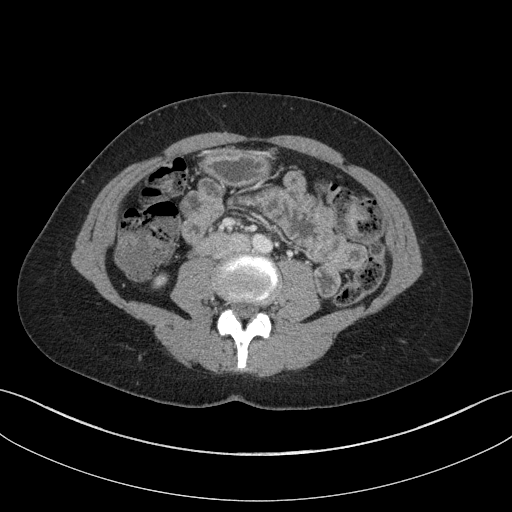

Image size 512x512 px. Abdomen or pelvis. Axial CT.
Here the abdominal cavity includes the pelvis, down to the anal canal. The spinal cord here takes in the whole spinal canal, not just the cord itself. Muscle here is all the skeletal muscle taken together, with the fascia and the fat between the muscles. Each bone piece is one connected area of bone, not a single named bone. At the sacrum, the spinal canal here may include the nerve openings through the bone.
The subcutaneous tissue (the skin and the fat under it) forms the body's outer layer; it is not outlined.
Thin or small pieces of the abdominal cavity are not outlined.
The bones are outlined by [[240,369],[246,365],[250,340],[256,335],[264,338],[269,336],[272,325],[263,308],[281,287],[275,263],[270,258],[251,254],[228,258],[214,268],[212,275],[213,288],[223,298],[225,305],[216,321],[216,328],[221,335],[229,334],[234,339],[237,368]]; inner edge: [[239,319],[250,319],[251,318],[252,318],[259,310],[259,305],[258,304],[256,304],[255,303],[248,303],[247,302],[245,302],[244,301],[242,301],[241,302],[236,302],[235,303],[232,303],[230,306],[232,308],[232,309],[233,310],[235,315]]. The spinal cord is outlined by [[239,319],[250,319],[251,318],[252,318],[259,310],[259,305],[258,304],[256,304],[255,303],[248,303],[247,302],[245,302],[244,301],[242,301],[241,302],[236,302],[235,303],[232,303],[230,306],[232,308],[232,309],[233,310],[235,315]]. The muscle is outlined by [[257,378],[268,378],[272,376],[273,377],[280,377],[286,375],[290,372],[297,372],[307,368],[320,359],[327,352],[332,345],[337,334],[340,331],[353,324],[356,321],[376,313],[388,305],[400,293],[413,284],[422,273],[423,266],[422,265],[422,258],[421,257],[420,248],[408,212],[394,191],[378,176],[361,166],[358,166],[350,163],[344,158],[341,153],[330,146],[318,140],[309,137],[300,135],[291,135],[290,134],[281,134],[269,137],[257,137],[256,136],[248,137],[244,135],[226,131],[223,132],[213,131],[212,132],[198,133],[184,137],[170,144],[159,155],[144,160],[141,160],[128,165],[114,176],[101,189],[91,204],[88,213],[75,239],[75,244],[71,253],[70,260],[74,268],[87,280],[90,281],[93,284],[96,290],[105,299],[119,308],[121,308],[133,317],[142,320],[152,330],[155,337],[164,347],[167,353],[185,367],[190,369],[198,369],[199,370],[210,371],[213,374],[217,374],[218,375],[222,375],[225,373],[230,373],[231,374],[233,373],[237,374],[239,373],[249,373]], around a hole outlined by [[240,369],[250,340],[272,329],[263,308],[281,287],[278,261],[308,269],[320,308],[306,320],[367,304],[389,261],[385,214],[362,184],[264,142],[156,166],[118,202],[106,249],[124,298],[181,313],[169,297],[179,266],[211,259],[225,305],[216,328]]. The torso is outlined by [[270,410],[322,409],[368,401],[431,375],[453,355],[467,330],[473,303],[470,273],[434,201],[406,159],[356,115],[307,97],[258,91],[223,91],[170,102],[124,128],[63,194],[20,266],[19,319],[31,341],[53,362],[122,392],[182,407],[240,401]]. The abdominal cavity is outlined by [[306,320],[367,304],[387,277],[385,214],[367,189],[341,169],[271,143],[228,143],[166,160],[118,202],[106,263],[124,298],[182,313],[169,293],[184,261],[205,257],[217,265],[232,255],[251,253],[270,257],[276,264],[297,260],[308,269],[320,308]].